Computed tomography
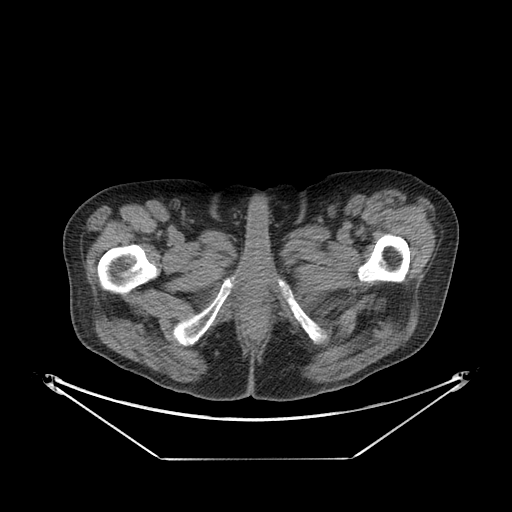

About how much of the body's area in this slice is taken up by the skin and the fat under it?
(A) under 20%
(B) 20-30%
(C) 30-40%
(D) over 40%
(C) 30-40%
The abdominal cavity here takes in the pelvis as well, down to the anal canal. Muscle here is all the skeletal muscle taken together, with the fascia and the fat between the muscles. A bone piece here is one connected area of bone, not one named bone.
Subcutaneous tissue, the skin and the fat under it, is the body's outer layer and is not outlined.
muscle: (384, 188) (427, 198) (441, 236) (419, 289) (413, 334) (403, 346) (352, 375) (321, 383) (302, 378) (299, 368) (311, 354) (287, 321) (272, 325) (260, 361) (251, 353) (243, 357) (232, 319) (217, 325) (200, 350) (208, 374) (195, 382) (174, 380) (117, 353) (97, 337) (96, 296) (79, 243) (87, 218) (97, 208) (127, 200) (178, 200) (199, 233) (222, 231) (238, 242) (242, 254) (262, 252) (274, 259) (295, 229) (316, 223) (334, 232) (350, 196) with holes at (132, 243) (139, 245) (144, 250) (147, 259) (157, 267) (158, 269) (158, 275) (154, 279) (152, 279) (145, 283) (136, 286) (129, 292) (123, 295) (116, 293) (112, 293) (103, 289) (99, 284) (99, 280) (97, 275) (97, 263) (99, 259) (110, 248) (117, 246) (124, 246) and at (386, 233) (400, 236) (408, 244) (410, 252) (410, 262) (409, 263) (408, 271) (404, 279) (401, 282) (387, 282) (386, 281) (376, 280) (372, 283) (370, 283) (369, 282) (361, 281) (358, 278) (357, 275) (357, 269) (358, 267) (363, 264) (370, 256) (376, 241) (382, 235) and at (251, 289) (261, 290) (263, 292) (265, 300) (271, 307) (272, 311) (271, 319) (269, 325) (267, 326) (265, 337) (261, 345) (257, 349) (252, 349) (246, 343) (246, 340) (244, 339) (244, 336) (242, 335) (242, 331) (238, 324) (236, 315) (237, 314) (236, 309) (241, 296) and at (232, 275) (234, 275) (234, 279) (233, 280) (233, 286) (231, 288) (231, 291) (219, 308) (217, 314) (211, 325) (194, 344) (192, 345) (187, 345) (186, 346) (180, 344) (173, 336) (172, 331) (174, 326) (178, 322) (191, 317) (208, 306) (217, 295) (223, 281) (226, 278) and at (278, 278) (283, 279) (289, 285) (292, 291) (293, 296) (300, 307) (327, 335) (327, 338) (326, 338) (322, 342) (320, 343) (314, 343) (306, 332) (302, 328) (300, 323) (295, 318) (288, 303) (281, 293) (280, 288) (277, 282) (277, 279)
torso: (365, 168) (418, 176) (449, 199) (458, 218) (459, 243) (440, 318) (425, 345) (408, 358) (353, 385) (306, 399) (209, 401) (117, 367) (76, 337) (62, 234) (74, 210) (96, 192) (157, 178) (190, 178) (215, 189) (231, 183) (262, 189) (280, 182) (303, 189) (327, 174)
bones 1: (132, 243) (139, 245) (144, 250) (147, 259) (157, 267) (158, 269) (158, 275) (154, 279) (152, 279) (145, 283) (136, 286) (129, 292) (123, 295) (116, 293) (112, 293) (103, 289) (99, 284) (99, 280) (97, 275) (97, 263) (99, 259) (110, 248) (117, 246) (124, 246)
bones 2: (386, 233) (400, 236) (408, 244) (410, 252) (410, 262) (409, 263) (408, 271) (404, 279) (401, 282) (387, 282) (386, 281) (376, 280) (372, 283) (370, 283) (369, 282) (361, 281) (358, 278) (357, 275) (357, 269) (358, 267) (363, 264) (370, 256) (376, 241) (382, 235)
bones 3: (232, 275) (234, 275) (234, 279) (233, 280) (233, 286) (231, 288) (231, 291) (219, 308) (217, 314) (211, 325) (194, 344) (192, 345) (187, 345) (186, 346) (180, 344) (173, 336) (172, 331) (174, 326) (178, 322) (191, 317) (208, 306) (217, 295) (223, 281) (226, 278)
bones 4: (278, 278) (283, 279) (289, 285) (292, 291) (293, 296) (300, 307) (327, 335) (327, 338) (326, 338) (322, 342) (320, 343) (314, 343) (306, 332) (302, 328) (300, 323) (295, 318) (288, 303) (281, 293) (280, 288) (277, 282) (277, 279)
abdominal cavity: (251, 289) (261, 290) (263, 292) (265, 300) (271, 307) (272, 311) (271, 319) (269, 325) (267, 326) (265, 337) (261, 345) (257, 349) (252, 349) (246, 343) (246, 340) (244, 339) (244, 336) (242, 335) (242, 331) (238, 324) (236, 315) (237, 314) (236, 309) (241, 296)